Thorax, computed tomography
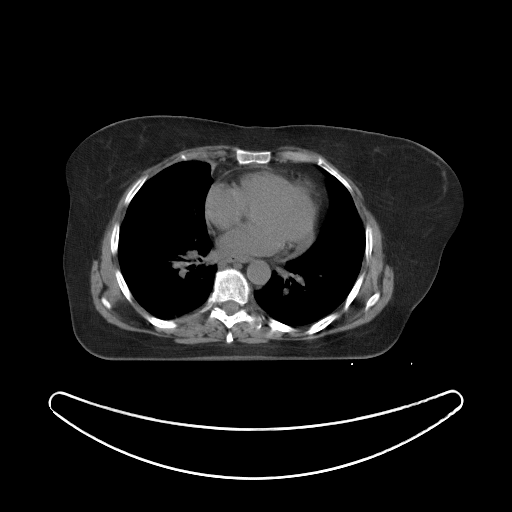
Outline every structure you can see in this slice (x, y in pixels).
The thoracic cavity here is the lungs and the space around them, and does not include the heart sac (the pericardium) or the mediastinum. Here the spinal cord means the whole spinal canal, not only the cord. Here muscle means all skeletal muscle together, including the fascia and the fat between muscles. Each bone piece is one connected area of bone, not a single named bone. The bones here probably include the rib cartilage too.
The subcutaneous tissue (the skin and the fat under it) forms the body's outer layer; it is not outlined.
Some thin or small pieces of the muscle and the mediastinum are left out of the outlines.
The thoracic cavity appears in 2 outlined pieces: piece 1: (190, 160) (202, 160) (210, 165) (212, 182) (205, 196) (204, 220) (207, 233) (212, 242) (211, 250) (215, 253) (217, 270) (214, 274) (212, 290) (201, 307) (173, 319) (164, 319) (149, 313) (135, 299) (122, 274) (118, 259) (120, 227) (127, 207) (148, 179) (174, 163); piece 2: (321, 169) (336, 178) (351, 195) (364, 227) (363, 259) (359, 273) (342, 303) (333, 311) (310, 325) (293, 326) (268, 316) (252, 302) (250, 296) (253, 295) (255, 290) (260, 290) (264, 287) (274, 271) (277, 272) (287, 261) (305, 252) (319, 234) (330, 208) (327, 177). The muscle appears in 3 outlined pieces: piece 1: (206, 145) (236, 146) (232, 150) (233, 159) (229, 157) (224, 159) (219, 157) (200, 159) (205, 154) (199, 151) (181, 153) (175, 160) (176, 162) (151, 177) (149, 178) (147, 174) (140, 176) (131, 185) (124, 197) (125, 213) (120, 223) (116, 221) (112, 225) (109, 247) (112, 255) (117, 254) (119, 268) (114, 270) (114, 276) (122, 294) (131, 304) (134, 298) (147, 312) (142, 315) (151, 325) (160, 329) (174, 329) (178, 325) (174, 319) (200, 308) (198, 311) (201, 314) (208, 312) (207, 319) (209, 321) (216, 319) (228, 330) (225, 335) (226, 343) (178, 343) (168, 337) (126, 330) (108, 322) (94, 306) (90, 292) (90, 271) (92, 261) (98, 259) (101, 254) (101, 241) (119, 199) (127, 187) (145, 169) (181, 150) with a hole at (102, 297) (104, 297) (110, 303) (110, 304) (111, 305) (111, 307) (110, 308) (107, 308) (102, 303) (102, 302) (101, 301) (101, 298); piece 2: (280, 146) (295, 146) (320, 154) (348, 176) (358, 187) (367, 208) (374, 216) (381, 231) (384, 262) (393, 269) (394, 273) (393, 292) (387, 304) (373, 319) (348, 330) (328, 334) (312, 340) (271, 339) (262, 343) (232, 342) (234, 338) (230, 329) (240, 322) (246, 322) (259, 330) (265, 320) (269, 327) (270, 334) (275, 332) (294, 333) (297, 330) (295, 327) (301, 326) (308, 326) (304, 331) (305, 335) (312, 335) (323, 330) (339, 316) (339, 313) (334, 311) (343, 303) (342, 310) (346, 311) (357, 296) (365, 277) (365, 272) (360, 272) (362, 262) (364, 258) (368, 262) (372, 255) (373, 230) (368, 223) (364, 226) (352, 197) (354, 191) (348, 181) (322, 156) (314, 156) (296, 150) (281, 150) (273, 154) (269, 150), around a hole outlined by (376, 292) (379, 292) (379, 293) (380, 294) (378, 300) (372, 306) (371, 306) (368, 309) (368, 310) (367, 311) (365, 311) (364, 310) (364, 307) (365, 306) (365, 304) (366, 303) (367, 300) (374, 293) (375, 293); piece 3: (254, 304) (260, 310) (261, 310) (267, 316) (267, 317) (266, 317) (265, 316) (265, 315) (263, 313) (261, 313) (260, 312) (259, 312) (258, 311) (258, 309) (254, 305). The spinal cord is outlined by (229, 300) (231, 300) (232, 301) (234, 301) (235, 302) (236, 302) (239, 305) (239, 308) (238, 309) (238, 310) (237, 311) (236, 311) (235, 312) (234, 312) (231, 314) (228, 314) (222, 308) (222, 307) (221, 306) (222, 305) (222, 303) (223, 303) (226, 301) (228, 301). The mediastinum appears in 2 outlined pieces: piece 1: (209, 158) (222, 160) (229, 158) (240, 165) (263, 165) (272, 160) (314, 163) (321, 168) (326, 177) (326, 187) (329, 194) (329, 208) (318, 234) (324, 211) (325, 195) (322, 185) (313, 175) (291, 168) (256, 165) (227, 169) (220, 173) (213, 182) (211, 165) (203, 160); piece 2: (213, 243) (217, 253) (222, 256) (232, 258) (263, 258) (272, 264) (285, 263) (277, 271) (274, 270) (271, 273) (271, 276) (263, 287) (255, 289) (252, 292) (252, 295) (250, 295) (251, 289) (248, 281) (238, 269) (233, 267) (218, 269) (216, 264) (216, 253) (212, 250). The pericardium is outlined by (256, 166) (285, 168) (307, 173) (313, 176) (323, 189) (323, 211) (314, 241) (300, 255) (280, 263) (272, 263) (263, 257) (232, 257) (228, 255) (222, 255) (216, 250) (212, 238) (208, 233) (205, 220) (205, 201) (212, 184) (220, 174) (227, 170) (233, 168) (249, 168). The torso is outlined by (156, 114) (187, 115) (246, 126) (324, 124) (350, 127) (408, 138) (441, 156) (459, 179) (463, 211) (442, 252) (428, 292) (412, 311) (397, 341) (374, 357) (333, 360) (106, 360) (84, 349) (72, 329) (62, 265) (69, 210) (65, 164) (76, 146) (99, 128) (125, 118). The bones appear in 12 outlined pieces: piece 1: (227, 268) (238, 270) (244, 276) (250, 289) (249, 299) (259, 313) (296, 330) (270, 333) (265, 319) (259, 329) (246, 321) (240, 321) (229, 329) (233, 340) (227, 343) (226, 335) (229, 330) (226, 326) (216, 318) (209, 320) (208, 311) (199, 311) (213, 290) (216, 272); inner edge: (229, 300) (231, 300) (232, 301) (234, 301) (235, 302) (236, 302) (239, 305) (239, 308) (238, 309) (238, 310) (237, 311) (236, 311) (235, 312) (234, 312) (231, 314) (228, 314) (222, 308) (222, 307) (221, 306) (222, 305) (222, 303) (223, 303) (226, 301) (228, 301); piece 2: (236, 147) (250, 151) (268, 150) (273, 155) (281, 151) (296, 151) (306, 153) (314, 157) (319, 156) (322, 157) (347, 181) (353, 191) (353, 194) (352, 195) (347, 188) (336, 177) (314, 162) (282, 160) (273, 155) (271, 160) (267, 163) (240, 164) (234, 159) (233, 150); piece 3: (332, 312) (337, 312) (338, 313) (338, 316) (326, 327) (325, 327) (323, 329) (322, 329) (315, 333) (313, 333) (312, 334) (305, 334) (305, 331) (308, 328) (308, 327) (309, 326) (310, 326) (313, 323) (320, 320) (322, 318) (323, 318) (327, 315) (330, 314); piece 4: (362, 272) (364, 272) (364, 277) (363, 278) (362, 283) (359, 288) (359, 290) (358, 291) (356, 296) (354, 298) (354, 299) (348, 306) (347, 309) (346, 310) (343, 310) (343, 305) (344, 304) (345, 299) (348, 295) (349, 292) (351, 290) (352, 287) (354, 285) (359, 274); piece 5: (145, 313) (148, 313) (160, 319) (163, 319) (164, 320) (173, 320) (176, 323) (177, 325) (176, 327) (174, 328) (160, 328) (159, 327) (154, 326) (152, 324) (151, 324) (144, 317) (143, 315); piece 6: (145, 175) (147, 175) (148, 176) (148, 178) (144, 182) (144, 183) (133, 196) (133, 197) (129, 202) (128, 205) (126, 206) (124, 204) (124, 200) (125, 199) (125, 197) (128, 191) (130, 189) (132, 185) (136, 181) (136, 180) (137, 180) (140, 177) (142, 176) (144, 176); piece 7: (116, 269) (119, 269) (120, 270) (121, 272) (121, 274) (133, 297) (132, 299) (132, 302) (131, 303) (129, 302) (128, 300) (125, 297) (125, 296) (123, 294) (117, 282) (117, 280) (115, 276) (115, 270); piece 8: (367, 224) (368, 224) (371, 227) (371, 229) (372, 230) (372, 249) (371, 250) (371, 255) (370, 256) (370, 257) (369, 258) (369, 259) (368, 260) (368, 261) (367, 261) (365, 259) (365, 258) (364, 257) (364, 254) (365, 253) (365, 226); piece 9: (116, 222) (118, 222) (120, 224) (120, 226) (119, 227) (119, 237) (118, 238) (118, 245) (117, 246) (117, 253) (116, 254) (112, 254) (112, 253) (111, 252) (111, 248) (110, 247) (110, 236) (111, 235) (111, 232) (112, 231) (112, 228) (113, 227) (113, 225); piece 10: (192, 152) (199, 152) (200, 153) (201, 153) (202, 154) (203, 153) (204, 154) (204, 155) (202, 155) (199, 158) (199, 159) (190, 159) (189, 160) (180, 160) (179, 161) (178, 161) (177, 160) (176, 160) (179, 157) (179, 156) (181, 154) (186, 154) (187, 153) (191, 153); piece 11: (376, 292) (379, 292) (379, 293) (380, 294) (378, 300) (372, 306) (371, 306) (368, 309) (368, 310) (367, 311) (365, 311) (364, 310) (364, 307) (365, 306) (365, 304) (366, 303) (367, 300) (374, 293) (375, 293); piece 12: (102, 297) (104, 297) (110, 303) (110, 304) (111, 305) (111, 307) (110, 308) (107, 308) (102, 303) (102, 302) (101, 301) (101, 298).